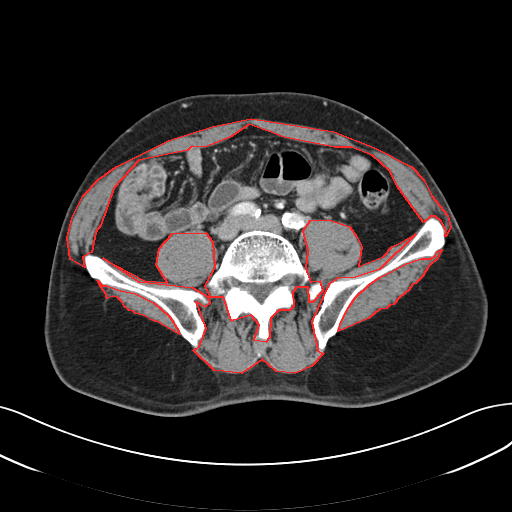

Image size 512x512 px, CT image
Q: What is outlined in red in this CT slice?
A: red: muscle.
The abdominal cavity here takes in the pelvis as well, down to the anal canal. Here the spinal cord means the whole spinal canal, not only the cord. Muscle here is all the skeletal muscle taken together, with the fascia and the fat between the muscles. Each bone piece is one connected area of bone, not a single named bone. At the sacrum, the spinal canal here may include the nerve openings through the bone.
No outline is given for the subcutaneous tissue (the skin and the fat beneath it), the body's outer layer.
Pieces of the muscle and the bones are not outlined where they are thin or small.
The muscle appears in 4 outlined pieces: piece 1: 328 219; 349 226; 356 236; 361 246; 358 266; 383 256; 392 246; 415 234; 379 269; 355 277; 337 278; 328 284; 311 321; 317 350; 323 353; 311 366; 295 373; 276 371; 262 359; 241 373; 214 370; 193 350; 199 346; 206 328; 196 301; 205 306; 210 302; 208 297; 193 288; 139 282; 103 258; 144 280; 167 282; 156 265; 159 248; 172 233; 205 232; 212 241; 214 267; 204 285; 209 296; 222 296; 230 320; 250 314; 258 324; 253 339; 266 341; 270 336; 271 317; 279 309; 290 309; 294 305; 293 291; 297 286; 307 286; 308 301; 313 301; 323 290; 320 281; 311 282; 306 268; 308 251; 303 230; 310 220; piece 2: 251 118; 333 131; 374 147; 411 166; 423 179; 431 195; 447 215; 450 227; 445 236; 446 230; 441 221; 435 216; 430 216; 423 222; 397 186; 390 171; 372 155; 351 147; 334 147; 284 137; 249 124; 229 137; 207 146; 190 147; 187 150; 138 160; 113 188; 100 225; 95 232; 91 252; 82 257; 84 267; 70 259; 67 237; 72 217; 83 195; 98 179; 116 166; 168 140; 212 126; piece 3: 441 249; 437 258; 428 266; 422 276; 415 283; 412 284; 408 290; 399 297; 393 304; 389 305; 386 308; 379 309; 368 318; 338 331; 341 321; 349 306; 355 297; 369 284; 379 277; 406 263; 421 258; 431 258; 435 255; 437 251; piece 4: 97 280; 102 285; 106 285; 120 290; 135 293; 153 302; 169 316; 178 330; 179 334; 156 321; 154 321; 143 315; 135 313; 133 311; 129 310; 124 306; 122 302; 117 297; 112 296; 107 298; 106 297; 106 294; 100 286. The abdominal cavity is outlined by 249 125; 372 156; 421 220; 415 232; 358 265; 362 246; 349 225; 310 219; 302 230; 305 267; 286 237; 255 228; 229 243; 216 270; 213 241; 205 231; 172 232; 155 256; 167 281; 144 279; 92 252; 114 188; 138 161; 207 147. The spinal cord is outlined by 275 281; 278 281; 279 282; 279 284; 271 292; 269 292; 268 293; 268 294; 263 299; 263 300; 262 301; 259 301; 252 294; 251 294; 248 291; 247 291; 246 290; 243 289; 239 285; 239 284; 241 282; 245 282; 246 283; 273 283. The bones appear in 3 outlined pieces: piece 1: 255 229; 286 238; 309 273; 310 282; 320 282; 323 286; 313 300; 308 300; 308 286; 297 285; 292 291; 293 305; 279 308; 270 317; 266 340; 254 339; 259 324; 250 313; 230 319; 223 296; 210 296; 205 285; 230 243; 241 233; inner edge: 275 281; 278 281; 279 282; 279 284; 271 292; 269 292; 268 293; 268 294; 263 299; 263 300; 262 301; 259 301; 252 294; 251 294; 248 291; 247 291; 246 290; 243 289; 239 285; 239 284; 241 282; 245 282; 246 283; 273 283; piece 2: 430 217; 437 218; 445 230; 443 247; 437 250; 433 256; 421 257; 406 262; 379 276; 364 287; 348 306; 337 332; 327 341; 323 351; 319 351; 312 321; 320 308; 324 292; 329 284; 337 279; 355 278; 379 270; 405 248; 423 223; piece 3: 87 253; 99 256; 121 274; 139 283; 160 288; 177 286; 202 292; 209 302; 204 305; 198 299; 195 301; 198 313; 205 325; 198 346; 193 347; 180 334; 170 316; 153 301; 135 292; 102 284; 91 277; 86 270; 83 258. The torso is outlined by 266 91; 311 93; 347 104; 390 130; 423 162; 456 218; 487 293; 487 324; 477 354; 461 371; 436 384; 363 407; 269 399; 193 415; 161 416; 126 409; 72 390; 51 364; 43 321; 58 233; 85 174; 118 135; 167 102; 194 94.